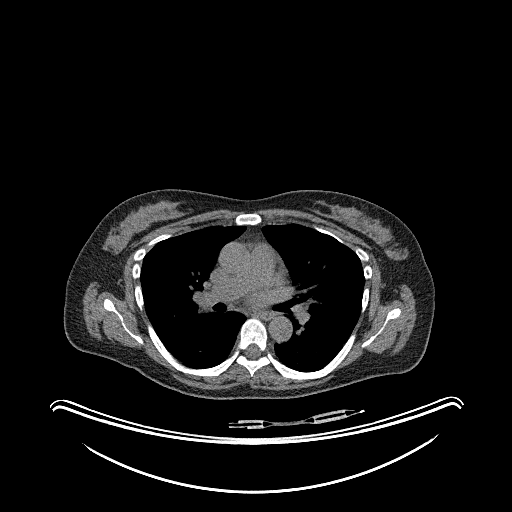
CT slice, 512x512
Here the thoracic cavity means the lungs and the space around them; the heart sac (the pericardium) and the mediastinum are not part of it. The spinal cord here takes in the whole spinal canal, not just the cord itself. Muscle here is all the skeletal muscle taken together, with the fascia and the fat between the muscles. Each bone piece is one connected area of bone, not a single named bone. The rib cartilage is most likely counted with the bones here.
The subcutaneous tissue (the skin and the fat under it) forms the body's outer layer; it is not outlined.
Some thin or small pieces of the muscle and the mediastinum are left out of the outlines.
The torso is outlined by [[166,188],[238,199],[322,189],[354,195],[387,209],[412,231],[433,278],[435,309],[424,355],[406,372],[373,377],[302,397],[207,399],[164,387],[133,368],[75,348],[64,332],[63,307],[67,278],[79,251],[99,221],[117,204],[140,193]]. The muscle is outlined by [[268,208],[295,209],[310,213],[364,241],[370,247],[369,251],[380,269],[380,301],[383,304],[398,297],[394,290],[400,284],[406,284],[411,289],[415,299],[416,319],[407,341],[398,352],[393,355],[365,353],[339,369],[328,380],[307,387],[276,390],[253,388],[246,383],[230,388],[202,389],[177,380],[141,349],[121,344],[111,345],[89,333],[82,311],[82,299],[87,286],[90,282],[97,281],[101,285],[100,291],[108,291],[121,297],[124,265],[134,250],[135,242],[159,227],[200,213],[218,209],[242,211],[245,212],[237,214],[232,222],[209,224],[176,235],[161,233],[134,251],[131,275],[134,280],[139,280],[134,286],[134,299],[138,309],[144,309],[149,320],[146,330],[153,345],[176,370],[202,377],[218,376],[234,362],[244,367],[251,377],[269,364],[283,378],[298,381],[318,379],[332,372],[353,346],[357,336],[353,330],[369,302],[370,289],[365,286],[365,281],[372,277],[369,255],[360,246],[352,249],[339,236],[320,225],[313,224],[311,227],[296,222],[263,221],[263,217],[255,211]] with holes at [[106,298],[109,299],[113,303],[115,308],[121,314],[123,318],[124,323],[126,325],[127,328],[134,334],[140,336],[140,337],[143,341],[143,344],[140,344],[124,329],[118,316],[113,311],[110,311],[104,308],[104,306],[103,305],[103,302]] and at [[394,308],[399,308],[400,309],[400,314],[399,316],[396,318],[392,318],[390,319],[386,323],[383,330],[368,345],[367,345],[365,347],[362,347],[361,346],[362,343],[367,340],[372,335],[373,335],[381,327],[386,318],[386,316],[388,312],[390,310]]. The mediastinum is outlined by [[263,222],[279,223],[265,224],[261,232],[281,257],[293,288],[279,306],[293,330],[281,343],[270,342],[260,319],[226,311],[224,304],[215,302],[208,282],[219,253],[221,273],[236,296],[250,301],[281,285],[286,271],[269,245],[233,240],[246,226]]. The thoracic cavity appears in 2 outlined pieces: piece 1: [[214,224],[245,226],[240,235],[226,242],[219,250],[207,281],[214,302],[224,305],[226,312],[234,311],[243,314],[245,320],[239,328],[231,353],[225,359],[212,366],[196,368],[179,361],[160,339],[145,310],[139,279],[142,261],[154,245],[174,236]]; piece 2: [[286,223],[310,227],[334,238],[353,250],[363,266],[365,280],[360,314],[350,335],[327,363],[310,371],[301,371],[286,365],[272,350],[273,344],[285,343],[292,336],[292,322],[280,306],[292,297],[294,288],[282,257],[268,242],[262,228],[265,225]]. The bones appear in 9 outlined pieces: piece 1: [[249,318],[263,323],[273,355],[301,372],[322,368],[352,332],[356,336],[336,367],[318,378],[285,378],[270,363],[251,376],[235,361],[218,375],[196,375],[176,369],[162,356],[149,336],[147,324],[179,362],[199,369],[215,366],[232,353],[240,328]] with a hole at [[251,344],[255,344],[259,348],[259,349],[260,350],[260,352],[261,353],[261,354],[257,358],[256,358],[255,359],[251,359],[250,358],[248,358],[246,356],[246,355],[245,354],[245,350],[247,348],[247,347],[249,345],[250,345]]; piece 2: [[165,233],[170,233],[172,234],[173,236],[157,242],[146,252],[140,264],[140,273],[139,274],[139,278],[137,279],[134,279],[132,275],[132,268],[135,262],[133,257],[134,256],[134,253],[135,251],[140,247],[145,247],[149,241],[155,237]]; piece 3: [[252,212],[255,212],[259,214],[262,217],[262,222],[258,224],[255,224],[254,225],[250,225],[249,224],[247,225],[237,225],[234,223],[231,223],[230,224],[228,224],[229,223],[232,223],[233,222],[234,218],[237,215],[241,214],[242,213],[251,213]]; piece 4: [[106,298],[109,299],[113,303],[115,308],[121,314],[123,318],[124,323],[126,325],[127,328],[134,334],[140,336],[140,337],[143,341],[143,344],[140,344],[124,329],[118,316],[113,311],[110,311],[104,308],[104,306],[103,305],[103,302]]; piece 5: [[394,308],[399,308],[400,309],[400,314],[399,316],[396,318],[392,318],[390,319],[386,323],[383,330],[368,345],[367,345],[365,347],[362,347],[361,346],[362,343],[367,340],[372,335],[373,335],[381,327],[386,318],[386,316],[388,312],[390,310]]; piece 6: [[356,247],[360,247],[362,248],[367,253],[368,255],[368,261],[367,263],[371,267],[371,277],[368,279],[365,279],[364,277],[364,272],[363,271],[363,267],[365,263],[361,261],[361,260],[359,258],[357,254],[354,251],[354,249]]; piece 7: [[137,284],[140,284],[140,287],[141,288],[141,293],[142,294],[142,297],[143,298],[143,307],[144,308],[142,310],[140,310],[139,309],[139,308],[138,307],[138,306],[137,305],[137,304],[136,303],[136,300],[135,299],[135,286]]; piece 8: [[365,287],[367,287],[369,289],[369,298],[368,299],[368,302],[367,303],[367,305],[366,306],[366,308],[365,309],[365,310],[364,311],[364,312],[363,312],[362,313],[361,313],[361,304],[362,303],[362,296],[363,295],[363,291],[364,290],[364,288]]; piece 9: [[313,225],[320,226],[324,229],[326,229],[330,231],[332,233],[333,233],[335,235],[339,237],[343,241],[344,241],[344,242],[346,244],[344,244],[340,242],[334,237],[328,234],[326,234],[325,233],[323,233],[322,232],[320,232],[316,230],[312,227]]. The spinal cord is outlined by [[251,344],[255,344],[259,348],[259,349],[260,350],[260,352],[261,353],[261,354],[257,358],[256,358],[255,359],[251,359],[250,358],[248,358],[246,356],[246,355],[245,354],[245,350],[247,348],[247,347],[249,345],[250,345]]. The pericardium is outlined by [[232,241],[237,241],[243,243],[262,241],[269,246],[277,254],[277,256],[279,258],[285,271],[283,278],[284,279],[280,285],[276,287],[273,291],[271,291],[261,297],[256,297],[250,300],[236,295],[223,275],[219,264],[219,257],[221,249],[226,243]].